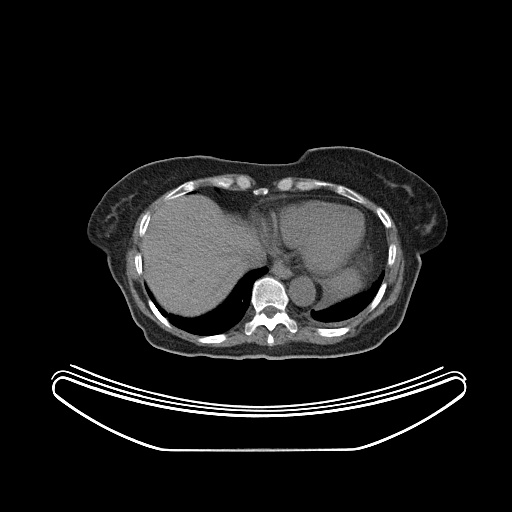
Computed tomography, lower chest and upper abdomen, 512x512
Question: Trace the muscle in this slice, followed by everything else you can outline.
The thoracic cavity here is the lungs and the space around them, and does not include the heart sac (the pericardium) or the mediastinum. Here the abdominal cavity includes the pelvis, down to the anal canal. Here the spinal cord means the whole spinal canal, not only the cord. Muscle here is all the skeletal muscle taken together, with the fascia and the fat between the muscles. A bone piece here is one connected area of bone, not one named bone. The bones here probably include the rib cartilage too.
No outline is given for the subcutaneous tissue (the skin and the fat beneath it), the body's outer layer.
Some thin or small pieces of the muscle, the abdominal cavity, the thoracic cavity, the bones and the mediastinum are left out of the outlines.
Answer: Outlines:
muscle 1: [[390,216],[396,226],[404,258],[402,288],[395,302],[357,334],[341,341],[332,344],[290,341],[269,346],[274,343],[272,331],[278,324],[292,334],[298,330],[298,323],[289,314],[288,306],[308,320],[327,325],[318,326],[315,331],[329,338],[347,333],[351,328],[344,325],[346,322],[367,307],[370,312],[379,304],[387,288],[383,280],[386,266],[393,265],[397,254],[396,244],[388,244],[386,234],[386,229],[392,226]]
muscle 2: [[169,190],[171,190],[163,197],[163,200],[165,201],[151,215],[151,213],[147,210],[141,216],[138,226],[138,235],[142,237],[141,253],[137,252],[134,255],[133,262],[137,274],[143,274],[144,287],[148,296],[148,307],[157,319],[166,327],[171,328],[175,326],[188,333],[197,335],[199,336],[196,340],[203,344],[215,344],[225,341],[228,338],[226,332],[239,323],[251,307],[252,314],[243,324],[243,332],[249,336],[258,326],[264,326],[268,331],[266,337],[268,345],[259,345],[254,342],[245,342],[224,347],[197,345],[179,338],[161,328],[146,316],[135,303],[129,289],[126,276],[126,253],[130,246],[133,229],[138,217],[147,207],[154,200]]
muscle 3: [[226,173],[246,174],[252,177],[259,184],[269,184],[275,180],[279,180],[276,184],[277,189],[269,190],[266,186],[260,186],[252,189],[251,181],[244,175],[239,175],[236,177],[216,176],[209,179],[210,184],[213,186],[196,189],[199,183],[195,179]]
muscle 4: [[363,196],[366,197],[368,199],[371,200],[373,202],[374,202],[375,203],[376,203],[378,205],[379,205],[378,205],[374,209],[374,212],[371,209],[368,208],[365,205],[364,205],[366,203],[366,200],[365,199],[365,198]]
spinal cord: [[267,306],[272,306],[273,307],[274,307],[275,308],[276,308],[277,309],[277,311],[271,317],[269,317],[268,316],[267,316],[262,311],[263,310],[263,309],[265,307],[266,307]]
pericardium: [[292,194],[330,196],[350,200],[362,205],[369,216],[371,241],[367,247],[364,247],[351,261],[327,277],[318,277],[314,274],[304,272],[296,268],[285,259],[266,251],[255,230],[251,226],[248,218],[246,217],[246,212],[254,202],[260,199],[270,196]]
torso: [[336,145],[363,148],[400,163],[435,189],[446,212],[446,234],[421,256],[421,268],[398,328],[373,349],[327,358],[184,356],[151,345],[134,322],[105,254],[86,235],[91,212],[103,194],[133,169],[164,158],[211,155],[281,164],[296,160],[307,149]]
abdominal cavity 1: [[195,190],[200,190],[214,196],[228,208],[245,214],[245,217],[254,230],[265,253],[259,258],[257,264],[239,279],[227,297],[216,307],[201,315],[183,317],[168,313],[156,301],[151,290],[145,283],[142,262],[142,240],[152,214],[164,202],[189,194]]
abdominal cavity 2: [[386,235],[388,246],[385,269],[370,287],[349,298],[344,299],[327,307],[320,308],[320,300],[322,298],[322,285],[320,282],[320,278],[327,278],[346,266],[364,248],[367,248],[370,242],[375,248],[378,247],[379,248],[380,246],[383,246],[386,241]]
bones 1: [[265,276],[272,277],[283,285],[289,300],[287,312],[298,326],[296,332],[292,333],[282,323],[278,323],[271,331],[273,337],[272,345],[268,344],[267,337],[269,331],[264,325],[258,325],[249,335],[244,332],[244,324],[253,314],[251,296],[254,282]]; inner edge: [[267,306],[272,306],[273,307],[274,307],[275,308],[276,308],[277,309],[277,311],[271,317],[269,317],[268,316],[267,316],[262,311],[263,310],[263,309],[265,307],[266,307]]
bones 2: [[283,178],[290,178],[294,182],[321,180],[330,182],[333,184],[341,184],[361,195],[364,198],[365,203],[362,204],[340,195],[333,191],[330,187],[321,187],[308,190],[299,190],[293,186],[290,190],[286,190],[285,191],[279,190],[277,188],[277,184]]
bones 3: [[239,176],[244,176],[250,181],[251,186],[250,188],[248,188],[247,189],[239,189],[239,188],[235,184],[233,184],[230,187],[230,188],[217,187],[212,185],[210,182],[210,179],[215,178],[216,177],[217,178],[219,177],[231,177],[232,178],[236,178]]
bones 4: [[190,180],[194,180],[195,181],[197,181],[198,183],[196,188],[194,190],[190,191],[187,193],[185,193],[182,195],[180,195],[177,197],[175,197],[171,199],[168,199],[167,200],[164,200],[164,197],[170,191],[182,183],[189,181]]
bones 5: [[344,326],[348,326],[350,328],[349,330],[344,334],[342,334],[338,336],[330,336],[329,337],[328,336],[322,336],[320,335],[316,331],[316,328],[318,327],[323,327],[324,328],[337,328],[338,327],[343,327]]
bones 6: [[222,333],[225,333],[227,335],[227,338],[225,340],[224,340],[221,342],[216,342],[215,343],[203,343],[202,342],[200,342],[197,340],[197,338],[200,336],[211,336],[212,335],[215,335],[216,334],[221,334]]
bones 7: [[378,206],[381,206],[386,211],[386,212],[388,214],[388,215],[390,218],[390,220],[391,221],[391,226],[389,228],[386,228],[384,226],[384,225],[382,223],[382,222],[380,220],[380,219],[378,217],[378,216],[376,214],[376,213],[375,212],[375,209]]
bones 8: [[383,281],[386,283],[386,288],[385,289],[385,291],[383,294],[383,296],[381,298],[381,299],[378,303],[378,304],[372,310],[371,310],[370,311],[368,309],[368,306],[369,305],[369,304],[372,301],[372,300],[374,298],[374,297],[376,295],[376,294]]
bones 9: [[149,298],[153,302],[153,303],[155,305],[157,309],[160,312],[160,313],[164,317],[165,317],[172,325],[171,327],[168,327],[166,326],[160,320],[159,320],[158,318],[153,313],[153,312],[151,310],[151,309],[148,305],[148,299]]
bones 10: [[147,211],[148,211],[150,213],[150,218],[149,219],[149,222],[148,223],[148,225],[147,226],[147,228],[145,231],[145,233],[143,235],[143,236],[140,236],[139,235],[139,226],[140,225],[140,222],[141,221],[141,219],[142,218],[142,216]]
bones 11: [[391,243],[394,243],[395,244],[395,245],[396,246],[396,254],[395,255],[395,259],[394,260],[394,261],[393,262],[393,263],[392,264],[392,265],[391,265],[390,266],[389,266],[387,264],[387,258],[388,257],[388,247],[389,246],[389,244],[390,244]]
bones 12: [[137,253],[140,253],[141,254],[141,262],[142,263],[142,273],[141,274],[138,274],[138,273],[137,272],[137,271],[136,270],[136,268],[135,267],[135,263],[134,262],[134,257],[135,256],[135,255]]
thoracic cavity 1: [[262,267],[266,267],[267,271],[253,282],[250,296],[251,306],[247,309],[244,316],[225,332],[211,335],[198,335],[173,325],[149,297],[145,287],[145,284],[148,287],[155,301],[168,314],[183,318],[194,318],[216,308],[228,297],[246,273],[250,270]]
thoracic cavity 2: [[384,272],[383,279],[375,295],[368,305],[357,315],[346,321],[343,325],[337,327],[328,327],[329,326],[325,323],[315,321],[309,318],[308,319],[307,317],[306,318],[302,315],[307,314],[314,309],[317,310],[319,308],[320,309],[327,308],[366,291]]
mediastinum 1: [[266,252],[285,260],[296,269],[304,273],[311,274],[319,278],[321,285],[321,298],[317,309],[311,309],[307,313],[298,313],[288,305],[290,300],[284,285],[272,276],[263,276],[268,271],[268,268],[266,266],[254,268],[258,264],[260,258],[263,257]]
mediastinum 2: [[208,187],[216,187],[233,190],[251,189],[255,195],[266,195],[270,190],[278,190],[285,192],[296,190],[308,191],[324,188],[331,190],[336,194],[348,199],[322,194],[292,193],[270,195],[254,201],[244,213],[228,207],[214,195],[202,191],[200,189]]
mediastinum 3: [[363,205],[368,209],[371,210],[374,213],[375,213],[375,214],[385,228],[385,241],[383,243],[383,245],[380,245],[379,247],[378,246],[377,247],[375,247],[372,244],[372,227],[371,226],[370,216],[368,214],[368,212],[366,210],[366,209],[364,208]]